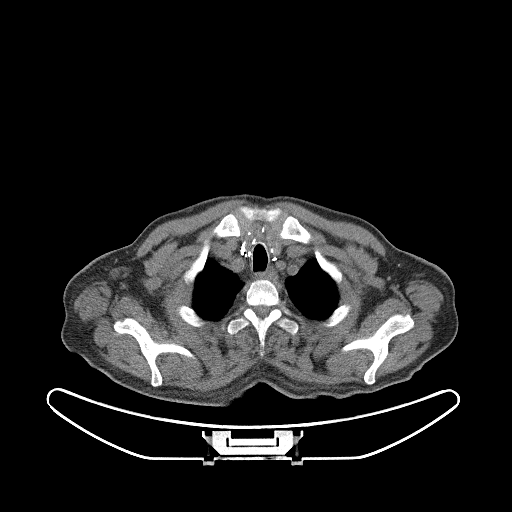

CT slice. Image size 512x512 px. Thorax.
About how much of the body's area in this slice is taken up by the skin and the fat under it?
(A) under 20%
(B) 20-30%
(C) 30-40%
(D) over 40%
(B) 20-30%
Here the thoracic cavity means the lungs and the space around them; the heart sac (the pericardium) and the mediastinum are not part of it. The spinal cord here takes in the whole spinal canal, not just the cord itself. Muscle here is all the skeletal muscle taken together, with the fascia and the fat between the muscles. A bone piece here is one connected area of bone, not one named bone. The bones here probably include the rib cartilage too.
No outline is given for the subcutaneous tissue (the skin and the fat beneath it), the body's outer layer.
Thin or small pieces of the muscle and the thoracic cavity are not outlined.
The spinal cord is outlined by (259, 305) (263, 305) (264, 306) (267, 306) (270, 308) (270, 309) (269, 310) (269, 312) (268, 313) (268, 314) (267, 315) (266, 315) (264, 317) (259, 317) (256, 314) (256, 313) (254, 310) (254, 307) (255, 307) (256, 306) (258, 306). The thoracic cavity appears in 2 outlined pieces: piece 1: (314, 257) (319, 267) (335, 283) (337, 287) (337, 292) (338, 293) (337, 306) (324, 319) (312, 319) (306, 317) (289, 303) (288, 304) (288, 300) (286, 296) (282, 294) (279, 290) (280, 287) (284, 285) (285, 279) (287, 277) (295, 275) (309, 258) (313, 258); piece 2: (208, 257) (216, 257) (220, 264) (238, 274) (240, 279) (245, 282) (249, 282) (247, 284) (246, 283) (242, 287) (240, 293) (237, 295) (233, 305) (229, 310) (221, 318) (215, 320) (203, 318) (192, 307) (194, 283) (198, 274) (203, 270). The torso is outlined by (239, 193) (289, 195) (359, 216) (396, 247) (431, 262) (432, 296) (444, 317) (458, 327) (453, 341) (410, 379) (343, 398) (297, 399) (262, 382) (228, 406) (196, 405) (143, 395) (93, 368) (70, 352) (60, 336) (64, 309) (80, 292) (85, 265) (131, 243) (160, 215), around a hole outlined by (258, 244) (260, 244) (262, 246) (263, 246) (263, 247) (264, 248) (264, 250) (267, 254) (267, 264) (266, 265) (266, 267) (264, 269) (263, 269) (262, 270) (260, 270) (259, 271) (254, 271) (253, 270) (253, 257) (254, 256) (254, 250) (255, 249) (255, 247). The right arm is outlined by (84, 266) (84, 271) (83, 272) (83, 278) (81, 282) (81, 286) (80, 287) (79, 292) (75, 300) (72, 303) (72, 304) (64, 308) (64, 306) (63, 305) (63, 292) (64, 291) (65, 286) (68, 282) (68, 281) (71, 278) (71, 277) (76, 272) (77, 272). The bones appear in 9 outlined pieces: piece 1: (254, 280) (268, 280) (278, 288) (280, 286) (278, 290) (285, 296) (287, 305) (301, 318) (298, 321) (299, 328) (293, 335) (273, 322) (265, 334) (262, 356) (259, 354) (258, 334) (250, 323) (234, 334) (221, 328) (238, 308) (240, 302) (238, 295) (243, 287), around a hole outlined by (259, 305) (263, 305) (264, 306) (267, 306) (270, 308) (270, 309) (269, 310) (269, 312) (268, 313) (268, 314) (267, 315) (266, 315) (264, 317) (259, 317) (256, 314) (256, 313) (254, 310) (254, 307) (255, 307) (256, 306) (258, 306); piece 2: (396, 313) (408, 313) (413, 319) (413, 327) (403, 333) (393, 336) (389, 340) (387, 355) (375, 372) (375, 381) (372, 384) (366, 384) (363, 376) (365, 371) (373, 361) (372, 352) (366, 348) (352, 349) (344, 352) (341, 350) (341, 348) (355, 339) (370, 336) (390, 316); piece 3: (125, 317) (135, 319) (156, 342) (172, 342) (183, 346) (188, 349) (195, 358) (176, 352) (159, 354) (155, 362) (161, 374) (162, 383) (159, 386) (153, 386) (150, 383) (150, 367) (141, 352) (137, 340) (132, 335) (128, 333) (118, 333) (113, 328) (116, 320) (121, 320); piece 4: (242, 205) (266, 208) (279, 207) (283, 212) (276, 220) (273, 222) (261, 220) (254, 220) (251, 222) (246, 221) (245, 222) (248, 225) (247, 228) (243, 229) (239, 236) (217, 237) (212, 234) (213, 228) (225, 215) (233, 213) (237, 216) (240, 216) (241, 214) (238, 208); piece 5: (287, 215) (291, 215) (295, 217) (299, 221) (299, 222) (311, 234) (312, 238) (309, 243) (302, 243) (301, 242) (299, 242) (298, 241) (296, 241) (292, 239) (286, 239) (285, 238) (282, 238) (279, 236) (278, 233) (279, 232) (279, 229) (280, 228) (280, 226) (283, 220); piece 6: (207, 239) (209, 240) (209, 249) (207, 253) (207, 258) (204, 264) (204, 266) (202, 270) (200, 271) (195, 277) (193, 285) (188, 284) (186, 283) (184, 280) (184, 278) (183, 277) (184, 272) (199, 255) (200, 251) (202, 248) (202, 246) (204, 243) (204, 241); piece 7: (315, 248) (317, 248) (321, 252) (321, 253) (329, 261) (334, 263) (341, 272) (341, 273) (342, 274) (342, 278) (341, 279) (341, 281) (340, 282) (340, 283) (338, 285) (337, 285) (336, 284) (336, 283) (332, 279) (332, 278) (320, 267) (320, 266) (315, 257); piece 8: (181, 305) (185, 305) (186, 306) (190, 306) (196, 312) (196, 313) (199, 316) (200, 316) (203, 319) (204, 319) (205, 320) (205, 323) (203, 325) (197, 327) (196, 326) (193, 326) (192, 325) (187, 323) (185, 321) (184, 321) (179, 315) (179, 314) (177, 311) (177, 308); piece 9: (342, 304) (349, 304) (351, 307) (351, 308) (348, 312) (347, 315) (341, 321) (340, 321) (337, 324) (336, 324) (333, 326) (330, 326) (329, 327) (327, 327) (326, 326) (324, 326) (323, 325) (322, 325) (321, 324) (321, 323) (326, 318) (327, 318) (339, 305) (341, 305). The left arm is outlined by (432, 262) (438, 265) (442, 269) (443, 269) (449, 276) (453, 283) (454, 289) (455, 290) (455, 307) (456, 308) (456, 311) (458, 316) (458, 326) (445, 317) (444, 314) (441, 311) (433, 296) (432, 290) (431, 289) (431, 285) (430, 284) (430, 271) (431, 270) (431, 264). The muscle is outlined by (232, 199) (260, 205) (292, 202) (326, 218) (367, 229) (386, 251) (386, 259) (379, 259) (377, 277) (402, 283) (422, 279) (442, 293) (430, 345) (408, 365) (376, 380) (376, 372) (388, 355) (390, 340) (415, 324) (408, 312) (396, 312) (370, 335) (355, 338) (340, 348) (344, 353) (359, 349) (371, 352) (372, 361) (362, 376) (364, 383) (299, 382) (262, 362) (229, 384) (204, 392) (162, 385) (156, 362) (159, 355) (176, 353) (191, 359) (195, 355) (178, 343) (156, 341) (135, 318) (125, 316) (116, 319) (112, 328) (136, 340) (150, 370) (149, 383) (107, 362) (74, 312) (75, 298) (87, 285) (104, 280) (114, 294) (135, 296) (146, 307) (150, 298) (142, 281) (146, 274) (141, 260) (134, 257) (149, 233) (163, 222), around holes outlined by (287, 215) (299, 221) (312, 236) (309, 243) (341, 272) (337, 305) (349, 304) (347, 315) (327, 327) (323, 319) (306, 317) (289, 303) (301, 318) (297, 332) (292, 335) (273, 322) (262, 356) (250, 323) (234, 334) (221, 328) (238, 308) (239, 296) (219, 319) (206, 319) (198, 327) (184, 321) (177, 308) (192, 306) (194, 286) (183, 275) (204, 241) (209, 240) (208, 257) (220, 254) (224, 240) (251, 239) (258, 232) (274, 243) (290, 243) (278, 234) and by (242, 205) (266, 208) (279, 207) (283, 212) (276, 220) (273, 222) (261, 220) (254, 220) (251, 222) (246, 221) (245, 222) (248, 225) (247, 228) (243, 229) (239, 236) (217, 237) (212, 234) (213, 228) (225, 215) (233, 213) (237, 216) (240, 216) (241, 214) (238, 208). The mediastinum is outlined by (258, 232) (263, 232) (274, 243) (285, 244) (295, 241) (304, 245) (311, 244) (314, 248) (314, 256) (309, 257) (295, 274) (287, 276) (281, 286) (276, 285) (268, 279) (245, 281) (240, 278) (238, 273) (220, 263) (217, 257) (220, 254) (224, 240) (239, 241) (251, 239); inner edge: (258, 244) (260, 244) (262, 246) (263, 246) (263, 247) (264, 248) (264, 250) (267, 254) (267, 264) (266, 265) (266, 267) (264, 269) (263, 269) (262, 270) (260, 270) (259, 271) (254, 271) (253, 270) (253, 257) (254, 256) (254, 250) (255, 249) (255, 247).